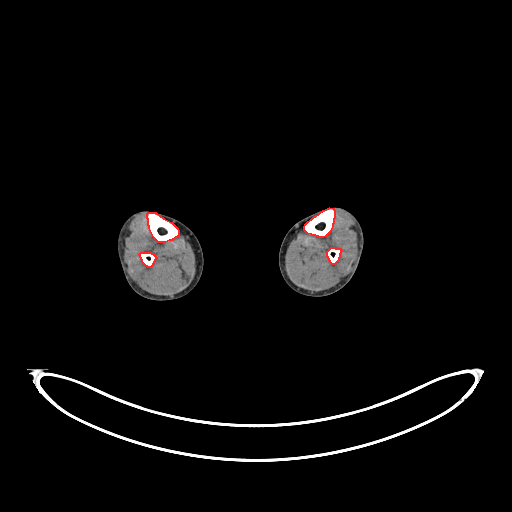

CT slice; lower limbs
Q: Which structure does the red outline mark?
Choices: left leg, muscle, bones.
A: red: bones.
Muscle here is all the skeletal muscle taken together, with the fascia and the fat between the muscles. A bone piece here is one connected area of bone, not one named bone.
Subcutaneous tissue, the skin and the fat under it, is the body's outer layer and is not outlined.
bones 1: [[148,212],[155,212],[163,218],[171,222],[177,228],[178,230],[178,235],[176,237],[175,237],[171,240],[169,240],[165,242],[158,242],[154,238],[149,228],[149,226],[148,225],[148,219],[147,218],[147,213]]
bones 2: [[329,207],[333,208],[334,210],[334,218],[333,219],[333,223],[332,224],[332,226],[329,232],[325,236],[323,237],[319,237],[318,236],[316,236],[315,235],[312,235],[311,234],[307,233],[304,230],[304,226],[305,224],[314,216],[315,216],[323,210]]
bones 3: [[141,252],[150,252],[151,253],[152,253],[155,256],[155,259],[154,260],[154,261],[153,262],[153,263],[152,264],[152,265],[150,267],[148,267],[147,266],[146,266],[142,262],[142,260],[141,259],[141,258],[140,257],[140,255],[139,254]]
bones 4: [[331,247],[334,247],[335,248],[340,248],[340,249],[341,250],[340,251],[340,253],[339,254],[339,257],[338,258],[338,260],[334,264],[332,264],[330,262],[330,261],[329,260],[329,259],[328,258],[328,257],[327,256],[327,251]]
right leg: [[140,210],[151,210],[154,212],[161,212],[167,214],[181,221],[190,228],[196,235],[203,252],[204,259],[203,271],[196,286],[185,296],[178,299],[166,301],[151,300],[140,296],[128,285],[124,277],[118,258],[117,237],[119,230],[126,218],[134,212]]
muscle 1: [[141,214],[146,214],[148,228],[153,238],[158,243],[165,243],[173,240],[179,235],[179,231],[190,238],[190,243],[195,255],[195,274],[191,283],[185,289],[172,296],[150,293],[142,289],[126,273],[124,266],[124,237],[126,229],[128,224],[136,216]], around a hole outlined by [[141,252],[150,252],[151,253],[152,253],[155,256],[155,259],[154,260],[154,261],[153,262],[153,263],[152,264],[152,265],[150,267],[148,267],[147,266],[146,266],[142,262],[142,260],[141,259],[141,258],[140,257],[140,255],[139,254]]
muscle 2: [[335,210],[343,212],[349,216],[359,233],[357,254],[352,263],[351,270],[345,276],[342,277],[338,283],[330,288],[314,292],[300,288],[289,279],[285,270],[285,254],[288,242],[290,238],[302,228],[309,235],[319,238],[325,237],[330,232],[333,226]]; inner edge: [[331,247],[334,247],[335,248],[340,248],[340,249],[341,250],[340,251],[340,253],[339,254],[339,257],[338,258],[338,260],[334,264],[332,264],[330,262],[330,261],[329,260],[329,259],[328,258],[328,257],[327,256],[327,251]]
left leg: [[331,206],[339,206],[348,210],[359,221],[364,236],[364,245],[362,254],[355,273],[348,283],[341,289],[332,294],[321,297],[311,297],[302,295],[292,290],[286,284],[282,278],[278,266],[278,252],[280,244],[286,232],[297,221],[313,212]]